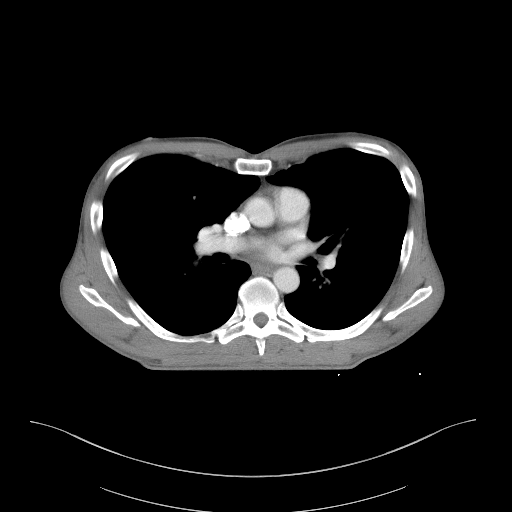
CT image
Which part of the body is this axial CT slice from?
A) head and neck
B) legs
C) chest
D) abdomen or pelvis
Answer: C) chest
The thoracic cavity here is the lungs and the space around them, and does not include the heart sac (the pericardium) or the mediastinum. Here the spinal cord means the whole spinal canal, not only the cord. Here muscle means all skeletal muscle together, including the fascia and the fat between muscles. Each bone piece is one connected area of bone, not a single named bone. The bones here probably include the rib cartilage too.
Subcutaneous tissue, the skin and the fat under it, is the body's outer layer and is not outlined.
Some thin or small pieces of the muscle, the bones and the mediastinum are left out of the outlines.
The muscle is outlined by 340 136; 387 142; 405 157; 418 178; 422 235; 441 292; 431 312; 394 341; 346 364; 163 366; 104 339; 68 307; 63 282; 82 241; 89 192; 106 164; 119 152; 140 143; 211 142; 233 148; 247 157; 236 157; 232 163; 234 170; 205 161; 200 153; 192 156; 156 153; 138 158; 139 153; 133 151; 110 164; 104 179; 112 179; 103 199; 90 203; 89 224; 93 234; 101 229; 105 246; 99 249; 99 257; 103 269; 113 285; 119 278; 130 294; 125 301; 135 317; 118 311; 91 286; 80 283; 79 293; 90 304; 108 310; 123 323; 137 328; 142 324; 163 340; 211 344; 216 339; 225 345; 241 336; 253 337; 260 357; 265 352; 266 338; 271 335; 295 343; 305 339; 315 343; 341 341; 362 334; 381 315; 384 307; 378 304; 398 266; 403 273; 411 256; 414 229; 408 226; 409 196; 417 196; 412 170; 404 162; 397 167; 390 160; 391 151; 383 145; 360 140; 350 141; 349 147; 313 153; 274 171; 271 159; 257 158; 286 144 with a hole at 429 285; 432 287; 432 292; 430 295; 424 300; 421 301; 416 305; 404 310; 398 314; 394 318; 390 320; 387 320; 386 321; 383 321; 382 320; 382 317; 387 312; 398 307; 401 304; 402 304; 409 297; 410 297; 418 288; 425 287. The torso is outlined by 345 130; 375 134; 395 142; 411 158; 422 179; 427 234; 444 279; 445 297; 432 319; 400 345; 349 370; 160 371; 148 369; 100 343; 63 308; 58 286; 74 249; 87 185; 101 163; 119 147; 147 136; 207 136; 255 153; 290 137. The bones appear in 9 outlined pieces: piece 1: 257 276; 265 277; 273 284; 293 316; 314 328; 345 328; 376 306; 383 307; 372 324; 354 337; 315 342; 305 338; 295 342; 271 334; 265 338; 261 356; 255 338; 247 334; 225 344; 216 338; 211 343; 163 339; 142 323; 137 327; 127 324; 108 309; 93 305; 79 291; 80 284; 91 287; 118 312; 134 318; 126 301; 130 297; 164 328; 190 336; 207 333; 224 323; 235 309; 239 287, around a hole outlined by 258 313; 263 313; 264 314; 265 314; 266 315; 266 316; 267 317; 267 321; 263 325; 262 325; 261 326; 260 326; 259 325; 258 325; 257 324; 256 324; 255 323; 255 322; 254 321; 254 317; piece 2: 238 157; 243 157; 244 158; 256 158; 257 159; 266 158; 267 159; 269 159; 271 160; 272 162; 272 169; 271 171; 266 175; 256 175; 255 174; 242 174; 241 173; 238 173; 234 169; 234 167; 233 166; 233 163; 234 161; 236 158; piece 3: 429 285; 432 287; 432 292; 430 295; 424 300; 421 301; 416 305; 404 310; 398 314; 394 318; 390 320; 387 320; 386 321; 383 321; 382 320; 382 317; 387 312; 398 307; 401 304; 402 304; 409 297; 410 297; 418 288; 425 287; piece 4: 356 141; 360 141; 361 142; 371 142; 372 143; 376 143; 377 144; 379 144; 390 151; 390 158; 388 159; 383 156; 380 156; 379 155; 376 155; 371 153; 367 153; 366 152; 352 148; 349 146; 349 143; 350 142; 355 142; piece 5: 133 152; 137 152; 138 153; 138 156; 134 161; 133 161; 129 165; 128 165; 121 172; 120 172; 113 178; 110 178; 109 179; 105 179; 105 176; 106 175; 106 173; 109 167; 116 159; 124 155; 126 155; 127 154; 129 154; piece 6: 408 227; 411 227; 413 229; 413 243; 412 244; 411 252; 410 253; 410 256; 409 257; 407 265; 404 271; 403 272; 401 272; 400 266; 399 265; 399 259; 400 258; 400 254; 401 253; 401 248; 402 247; 403 238; 404 237; 405 232; piece 7: 404 163; 406 164; 409 167; 415 179; 415 186; 416 187; 416 196; 415 197; 413 197; 408 194; 404 186; 404 184; 402 181; 402 179; 401 178; 400 173; 398 170; 398 167; 401 164; 403 164; piece 8: 94 200; 100 200; 101 201; 102 201; 102 206; 103 207; 103 211; 102 212; 102 221; 101 222; 101 228; 99 230; 98 230; 96 232; 96 233; 93 233; 93 232; 91 229; 91 225; 90 224; 90 206; 91 205; 91 203; piece 9: 102 247; 106 247; 106 248; 108 250; 114 262; 115 267; 117 270; 118 278; 117 278; 115 280; 115 284; 113 284; 111 282; 108 275; 106 273; 104 269; 104 267; 103 266; 103 264; 102 263; 102 261; 100 257; 100 249. The thoracic cavity appears in 2 outlined pieces: piece 1: 156 154; 183 154; 238 174; 255 175; 258 179; 255 189; 219 225; 217 236; 221 250; 230 259; 246 263; 250 274; 238 287; 237 301; 229 317; 204 333; 180 334; 150 316; 120 279; 105 243; 102 231; 103 200; 112 180; 136 160; piece 2: 340 148; 383 157; 397 168; 408 195; 407 227; 397 268; 377 305; 345 327; 319 328; 293 315; 284 301; 286 295; 300 286; 297 266; 303 263; 310 249; 307 234; 311 219; 310 198; 303 189; 271 183; 267 176; 302 162; 313 154. The spinal cord is outlined by 258 313; 263 313; 264 314; 265 314; 266 315; 266 316; 267 317; 267 321; 263 325; 262 325; 261 326; 260 326; 259 325; 258 325; 257 324; 256 324; 255 323; 255 322; 254 321; 254 317. The mediastinum appears in 2 outlined pieces: piece 1: 225 219; 225 233; 235 244; 237 251; 264 260; 281 260; 291 256; 306 239; 306 234; 309 249; 302 263; 296 266; 300 278; 297 289; 282 299; 267 277; 249 277; 249 265; 244 261; 230 258; 218 241; 220 225; piece 2: 257 176; 266 176; 266 180; 269 183; 270 183; 271 184; 273 184; 269 184; 268 183; 266 183; 265 184; 263 184; 260 187; 259 187; 258 188; 258 189; 257 189; 255 191; 254 191; 256 189; 256 188; 259 185; 259 179. The pericardium is outlined by 266 184; 278 186; 291 186; 298 188; 305 192; 310 202; 309 216; 310 217; 307 231; 305 234; 305 239; 301 242; 301 244; 295 252; 281 259; 264 259; 255 255; 242 253; 238 251; 238 247; 228 236; 224 227; 226 218; 246 198.